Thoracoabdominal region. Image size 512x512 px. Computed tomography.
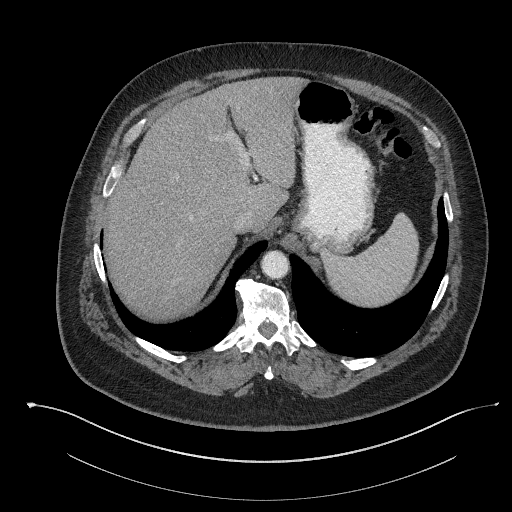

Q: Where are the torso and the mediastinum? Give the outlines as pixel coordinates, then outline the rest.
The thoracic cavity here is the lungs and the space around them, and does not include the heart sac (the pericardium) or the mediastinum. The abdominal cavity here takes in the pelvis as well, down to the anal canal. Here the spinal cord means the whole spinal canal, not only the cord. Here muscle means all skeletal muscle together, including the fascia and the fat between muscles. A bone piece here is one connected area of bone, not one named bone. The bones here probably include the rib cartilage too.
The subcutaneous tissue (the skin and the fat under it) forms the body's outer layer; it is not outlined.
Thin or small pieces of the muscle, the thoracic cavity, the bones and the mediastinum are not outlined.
A: torso: [[255,432],[347,423],[430,393],[457,369],[479,312],[488,261],[488,221],[465,128],[431,82],[372,51],[321,42],[234,41],[191,48],[159,60],[131,78],[106,106],[68,192],[58,244],[55,305],[62,348],[76,375],[93,389],[144,413],[190,425]]
mediastinum: [[294,317],[295,317],[291,303],[291,266],[289,261],[290,252],[287,248],[282,246],[281,244],[278,242],[276,242],[275,240],[269,240],[267,247],[260,253],[258,257],[241,276],[242,277],[251,277],[257,281],[265,282],[281,288],[290,297],[290,303]]
bones 1: [[288,355],[296,351],[301,343],[310,347],[317,345],[293,317],[289,297],[277,287],[251,278],[239,278],[235,290],[241,301],[241,310],[232,329],[211,347],[212,350],[221,351],[236,345],[241,352],[251,353],[258,342],[268,350],[275,342],[280,342]]; inner edge: [[267,338],[268,338],[269,337],[270,337],[274,333],[274,332],[276,330],[276,327],[275,326],[275,325],[273,323],[271,323],[270,322],[269,322],[268,323],[267,323],[266,322],[263,322],[259,326],[259,331],[265,337],[266,337]]
bones 2: [[177,363],[180,363],[184,361],[187,358],[185,355],[177,355],[176,354],[174,354],[138,336],[136,336],[135,335],[134,336],[134,339],[137,342],[137,343],[141,347],[147,351],[159,357],[161,357],[162,358],[164,358],[165,359],[167,359]]
bones 3: [[103,197],[108,197],[111,194],[111,192],[113,190],[113,188],[117,180],[120,177],[123,171],[123,168],[124,167],[124,162],[122,158],[120,158],[116,160],[110,168],[110,170],[104,182],[104,185],[103,186],[103,189],[102,190],[102,196]]
bones 4: [[123,148],[126,148],[130,145],[131,145],[131,144],[139,135],[139,134],[141,132],[141,130],[143,128],[143,127],[147,120],[147,119],[145,117],[140,119],[138,121],[137,121],[135,123],[134,123],[124,134],[124,135],[122,138],[122,147]]
bones 5: [[351,370],[357,370],[358,369],[360,369],[361,368],[366,367],[369,365],[371,365],[375,363],[377,359],[376,357],[374,356],[372,356],[371,357],[363,357],[362,358],[341,358],[340,359],[340,362],[341,362],[346,367],[347,367]]
bones 6: [[105,285],[107,285],[107,280],[105,276],[105,271],[103,266],[103,261],[102,260],[102,256],[101,255],[101,250],[99,246],[99,242],[94,242],[93,244],[93,257],[94,258],[95,266],[101,281]]
bones 7: [[428,313],[430,313],[433,310],[434,310],[444,294],[444,292],[446,289],[446,287],[448,283],[448,279],[449,278],[449,275],[448,273],[446,272],[445,272],[443,275],[443,277],[440,282],[440,284],[434,296],[434,298],[432,301],[432,303]]
bones 8: [[435,148],[439,148],[440,147],[440,146],[441,145],[441,144],[440,143],[440,141],[438,139],[437,136],[429,127],[428,127],[424,124],[423,125],[422,125],[422,126],[421,127],[421,131],[424,135],[424,137],[426,139],[427,142],[430,145],[431,145]]
bones 9: [[448,223],[450,223],[452,221],[453,219],[453,214],[452,213],[452,208],[451,207],[451,204],[450,203],[450,200],[449,199],[449,195],[447,191],[446,190],[444,190],[442,192],[442,196],[443,197],[443,203],[444,204],[445,215],[446,216]]
abdominal cavity: [[157,324],[193,316],[207,306],[235,260],[263,239],[287,247],[330,293],[352,305],[377,308],[405,295],[431,259],[443,189],[440,168],[421,132],[388,106],[336,82],[298,72],[261,72],[220,82],[164,110],[132,144],[101,230],[114,291],[130,312]]
spinal cord: [[267,338],[268,338],[269,337],[270,337],[274,333],[274,332],[276,330],[276,327],[275,326],[275,325],[273,323],[271,323],[270,322],[269,322],[268,323],[267,323],[266,322],[263,322],[259,326],[259,331],[265,337],[266,337]]
muscle: [[307,398],[333,397],[355,387],[360,383],[376,375],[395,367],[437,338],[445,328],[447,322],[451,319],[457,310],[458,287],[461,281],[461,274],[463,267],[462,257],[460,251],[462,241],[460,237],[460,227],[459,226],[461,209],[457,196],[453,162],[451,159],[448,142],[441,130],[425,113],[413,106],[402,97],[384,89],[378,85],[372,84],[370,82],[364,80],[350,78],[329,72],[314,71],[297,67],[296,68],[292,67],[234,68],[233,69],[225,69],[219,71],[214,71],[205,75],[197,76],[193,79],[188,79],[132,109],[120,122],[111,138],[110,143],[108,145],[104,155],[102,157],[100,170],[97,173],[90,194],[90,209],[86,216],[86,222],[85,223],[84,243],[86,252],[84,254],[84,258],[82,262],[82,273],[78,286],[80,316],[82,320],[89,327],[90,330],[110,346],[159,375],[192,390],[215,396],[224,396],[225,397],[243,396],[250,391],[252,391],[253,388],[261,381],[266,380],[263,377],[263,373],[266,367],[270,364],[272,366],[274,373],[273,379],[282,381],[296,393]] with a hole at [[351,370],[407,340],[446,289],[453,214],[432,130],[298,72],[217,83],[140,136],[147,119],[134,123],[122,138],[126,167],[116,160],[104,182],[110,199],[93,257],[137,343],[177,363],[187,357],[172,351],[251,353],[280,342],[291,355],[319,344]]
thoracic cavity 1: [[348,357],[376,356],[399,346],[416,331],[426,316],[446,263],[448,230],[441,196],[438,201],[438,238],[432,259],[414,288],[387,306],[377,309],[363,309],[336,298],[323,287],[300,258],[294,254],[290,255],[292,303],[297,320],[318,344],[331,352]]
thoracic cavity 2: [[170,351],[205,349],[219,341],[231,329],[240,310],[240,301],[234,290],[235,281],[266,247],[267,242],[265,240],[252,245],[236,260],[222,289],[207,307],[193,317],[175,323],[157,325],[140,320],[121,303],[108,281],[112,300],[126,326],[134,334]]